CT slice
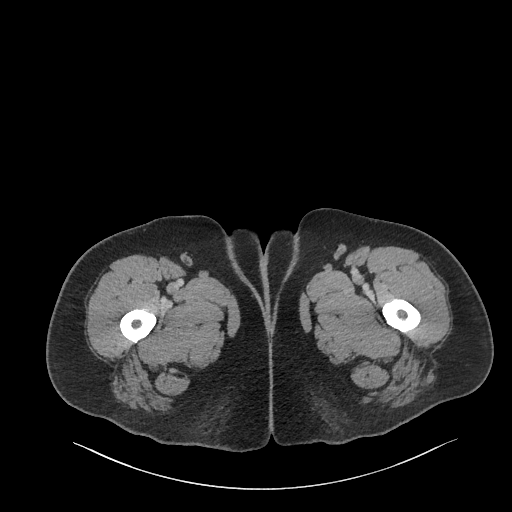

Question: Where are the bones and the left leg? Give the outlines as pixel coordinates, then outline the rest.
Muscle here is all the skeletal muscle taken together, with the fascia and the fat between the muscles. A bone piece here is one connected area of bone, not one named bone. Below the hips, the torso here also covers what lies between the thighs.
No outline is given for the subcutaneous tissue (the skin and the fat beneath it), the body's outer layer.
Answer: Outlines (x, y in pixels):
bones 1: 393,298 401,298 408,301 411,304 412,304 419,311 420,313 420,316 421,318 419,323 413,329 408,331 406,333 403,333 399,330 389,325 386,322 382,314 381,309 383,304 385,302 389,300 391,300
bones 2: 135,308 144,308 152,312 156,317 156,323 152,328 152,329 149,332 149,333 145,337 140,339 135,343 132,343 131,341 126,338 122,334 120,330 120,328 119,327 119,322 120,321 120,319 125,313
left leg: 321,207 337,208 406,224 440,241 464,267 484,304 493,338 493,361 487,377 476,390 465,396 438,404 384,434 362,437 343,444 316,442 283,446 276,443 272,437 269,331 272,309 293,257 297,225 304,214
muscle 1: 374,242 402,244 425,256 449,286 449,301 453,315 452,331 434,355 438,367 436,370 437,379 433,387 417,399 391,411 359,405 350,386 336,374 330,364 306,338 302,330 298,311 300,291 312,271 346,246, around a hole outlined by 393,298 401,298 408,301 411,304 412,304 419,311 420,313 420,316 421,318 419,323 413,329 408,331 406,333 403,333 399,330 389,325 386,322 382,314 381,309 383,304 385,302 389,300 391,300
muscle 2: 138,251 174,257 203,267 218,276 228,283 237,299 241,313 240,325 232,343 214,364 195,379 183,395 177,410 165,417 148,417 121,407 114,401 108,378 110,368 92,354 83,333 84,297 92,283 112,261 with a hole at 135,308 144,308 152,312 156,317 156,323 152,328 152,329 149,332 149,333 145,337 140,339 135,343 132,343 131,341 126,338 122,334 120,330 120,328 119,327 119,322 120,321 120,319 125,313
torso: 237,227 248,227 257,231 259,235 260,245 263,250 267,244 270,232 272,230 278,228 288,228 294,230 295,233 294,250 288,270 272,305 269,329 267,315 262,301 254,287 244,277 237,267 229,251 228,233
right leg: 183,214 209,216 226,230 230,257 264,307 270,339 271,437 259,449 233,452 198,445 160,443 146,436 133,434 104,418 70,406 57,393 48,375 45,359 48,325 61,286 76,260 92,245 114,233 158,217